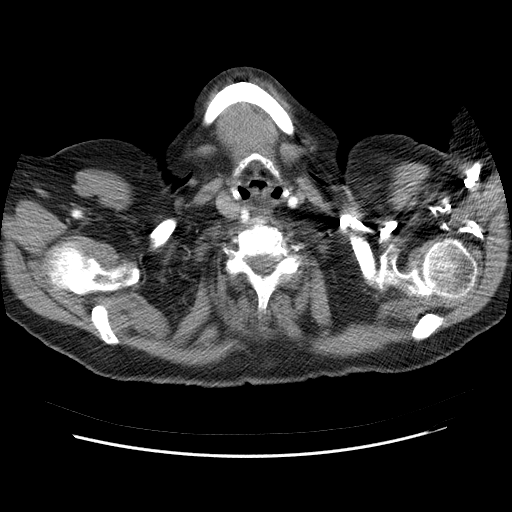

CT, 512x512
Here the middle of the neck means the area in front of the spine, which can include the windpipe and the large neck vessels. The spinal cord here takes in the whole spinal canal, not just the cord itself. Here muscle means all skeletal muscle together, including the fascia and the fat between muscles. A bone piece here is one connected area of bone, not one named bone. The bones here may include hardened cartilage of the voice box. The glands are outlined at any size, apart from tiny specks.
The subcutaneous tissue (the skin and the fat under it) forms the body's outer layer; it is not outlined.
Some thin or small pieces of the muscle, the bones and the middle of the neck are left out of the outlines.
The bones appear in 9 outlined pieces: piece 1: 351,234 368,242 377,269 380,255 393,244 399,250 395,263 402,273 419,268 434,243 445,238 458,239 477,263 474,285 466,295 450,298 435,294 408,295 392,285 380,290 376,283 369,285 364,279 350,243; piece 2: 255,217 275,226 287,238 288,244 299,244 301,248 297,253 303,261 291,279 280,284 272,293 265,312 258,310 257,294 246,277 242,273 230,275 223,268 227,258 223,247 235,249 234,237 248,228 250,219 with a hole at 257,256 268,256 269,258 274,258 274,259 277,262 274,265 274,269 272,271 272,272 271,272 269,274 267,274 263,276 260,274 258,274 256,273 252,269 251,266 248,262 248,259 252,257 256,257; piece 3: 65,242 72,242 77,249 82,251 86,256 93,257 106,270 123,264 128,268 136,266 140,272 138,281 127,287 122,287 113,291 91,291 82,295 67,289 54,287 46,273 48,260 54,257 54,247 59,247; piece 4: 238,81 248,81 254,83 267,91 289,114 294,126 293,134 288,135 283,132 277,126 272,118 263,109 255,104 248,102 236,102 231,104 220,113 212,123 209,125 203,124 202,119 208,102 216,93 225,86; piece 5: 98,304 103,304 107,309 107,311 108,312 108,320 109,321 110,326 114,332 115,335 119,340 119,342 117,344 107,344 103,340 102,340 100,338 100,333 99,331 93,324 91,320 91,311 92,310 92,308; piece 6: 425,313 433,313 439,316 441,316 444,318 444,321 443,323 441,325 440,325 428,337 424,339 422,339 421,340 415,340 411,336 411,333 412,332 412,330 414,326 418,321 419,318; piece 7: 169,217 172,217 176,220 176,226 174,230 172,232 172,233 169,236 168,239 165,242 165,243 164,243 162,245 156,248 154,248 152,246 152,242 149,237 149,234 151,232 151,231 161,221; piece 8: 254,152 258,153 272,161 274,166 279,172 279,174 280,175 280,181 279,181 271,173 271,172 258,160 252,160 246,166 246,167 244,168 239,176 235,176 234,175 234,171 239,162 242,159 245,158; piece 9: 467,220 473,220 480,226 480,227 481,228 481,233 482,234 482,238 481,238 480,237 479,237 478,236 477,236 476,235 475,235 470,232 466,232 465,231 460,231 460,229 462,227 463,227 466,224 466,221. The middle of the neck is outlined by 251,162 260,162 285,187 281,195 287,197 290,192 300,198 301,205 295,209 282,207 267,219 260,216 252,217 249,219 247,225 240,225 234,221 239,209 237,200 241,198 238,190 238,186 241,184 240,176. The torso is outlined by 389,132 446,150 443,267 463,290 505,308 498,323 431,365 401,373 220,388 120,381 46,346 6,313 0,222 24,152 51,155 90,139 124,140 156,156 174,190 194,177 303,162 337,164 343,170 358,140. The thyroid glands are outlined by 223,194 230,194 232,196 232,197 233,198 234,198 238,203 238,209 237,210 237,213 235,216 235,219 232,222 230,222 229,221 226,220 217,211 217,210 216,209 216,205 215,204 215,200 219,196 220,196. The spinal cord is outlined by 257,256 268,256 269,258 274,258 274,259 277,262 274,265 274,269 272,271 272,272 271,272 269,274 267,274 263,276 260,274 258,274 256,273 252,269 251,266 248,262 248,259 252,257 256,257. The head and neck is outlined by 237,66 251,66 266,71 300,103 327,123 335,131 339,139 339,147 336,158 337,163 303,161 268,170 193,177 188,174 176,179 169,171 166,171 164,152 168,144 188,119 192,106 202,88 208,81 220,72. The muscle is outlined by 238,71 295,108 317,141 298,169 327,200 389,160 428,165 452,193 495,164 509,243 491,300 432,335 445,318 425,312 410,333 419,342 379,352 275,344 192,367 108,345 120,340 103,303 90,311 100,340 15,298 0,222 20,199 61,205 75,173 98,168 171,211 222,170 192,152 201,122 248,103 294,134 248,80 216,92 202,118 208,91 with holes at 254,152 272,161 279,183 301,205 282,207 265,220 288,244 301,246 297,253 303,261 272,293 265,312 258,310 246,277 223,268 223,247 235,249 234,237 251,224 224,219 215,204 232,193 240,179 236,167 and at 351,234 368,242 377,269 380,255 393,244 399,250 395,263 402,273 419,268 434,243 445,238 458,239 477,263 474,285 466,295 450,298 435,294 408,295 392,285 380,290 376,283 369,285 364,279 350,243 and at 65,242 72,242 77,249 82,251 86,256 93,257 106,270 123,264 128,268 136,266 140,272 138,281 127,287 122,287 113,291 91,291 82,295 67,289 54,287 46,273 48,260 54,257 54,247 59,247 and at 169,217 172,217 176,220 176,226 174,230 172,232 172,233 169,236 168,239 165,242 165,243 164,243 162,245 156,248 154,248 152,246 152,242 149,237 149,234 151,232 151,231 161,221 and at 467,220 473,220 480,226 480,227 481,228 481,233 482,234 482,238 481,238 480,237 479,237 478,236 477,236 476,235 475,235 470,232 466,232 465,231 460,231 460,229 462,227 463,227 466,224 466,221. The left arm is outlined by 460,106 465,109 479,131 493,159 501,180 507,208 511,238 511,274 505,307 493,305 481,296 470,293 463,289 455,282 444,267 443,224 447,208 449,185 447,149 449,146 448,139 452,134 450,120 452,115.